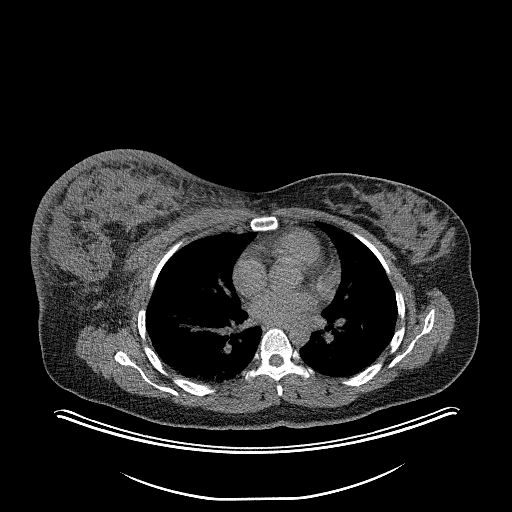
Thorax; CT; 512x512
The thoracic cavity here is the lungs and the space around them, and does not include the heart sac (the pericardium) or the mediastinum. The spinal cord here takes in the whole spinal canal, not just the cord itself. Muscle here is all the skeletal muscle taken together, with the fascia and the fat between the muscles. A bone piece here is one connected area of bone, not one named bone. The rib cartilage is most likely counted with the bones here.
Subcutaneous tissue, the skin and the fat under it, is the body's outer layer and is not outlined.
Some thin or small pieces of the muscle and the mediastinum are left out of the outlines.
The muscle is outlined by [[282,207],[307,207],[317,209],[342,217],[360,225],[374,235],[393,253],[395,257],[393,262],[396,266],[401,269],[401,272],[406,280],[413,286],[414,288],[413,292],[416,297],[417,303],[419,305],[421,305],[427,301],[426,291],[430,290],[433,287],[436,287],[439,289],[446,296],[453,308],[455,315],[455,322],[452,333],[445,348],[434,361],[419,369],[408,372],[401,377],[389,382],[384,386],[372,390],[345,405],[341,405],[336,407],[307,407],[282,400],[278,405],[272,405],[255,412],[224,413],[204,409],[199,406],[195,407],[185,406],[174,403],[163,398],[147,397],[139,394],[130,393],[122,389],[113,381],[110,381],[94,372],[84,360],[75,354],[75,343],[77,337],[81,329],[85,325],[93,324],[96,326],[100,326],[102,328],[108,329],[109,331],[115,332],[117,328],[122,327],[127,322],[128,302],[133,291],[133,280],[132,276],[127,275],[123,270],[124,261],[126,260],[128,255],[150,237],[205,208],[228,208],[229,209],[238,208],[254,211],[258,214],[269,214],[275,208],[281,208]]; inner edges: [[271,215],[280,224],[300,220],[325,222],[349,233],[354,231],[371,242],[389,268],[388,279],[392,288],[400,290],[403,296],[405,330],[401,342],[391,354],[387,346],[375,361],[383,362],[381,368],[371,379],[357,386],[341,383],[343,376],[318,371],[306,379],[288,373],[278,381],[282,387],[282,393],[278,395],[277,382],[268,375],[260,374],[247,381],[238,373],[229,379],[212,383],[216,389],[212,393],[200,396],[187,392],[172,381],[179,374],[164,364],[168,373],[166,376],[150,362],[144,345],[151,348],[152,344],[148,336],[142,340],[138,330],[138,311],[146,308],[150,300],[149,283],[153,271],[170,247],[181,239],[187,244],[231,228],[249,228],[251,219]], then [[120,350],[124,352],[132,361],[140,367],[144,374],[151,381],[158,385],[172,388],[178,393],[178,395],[177,396],[167,391],[163,391],[158,388],[156,388],[145,381],[136,368],[130,365],[123,365],[116,361],[114,358],[114,355],[116,352]], then [[433,308],[434,309],[434,320],[431,329],[427,333],[423,334],[415,342],[411,350],[406,355],[405,355],[392,367],[388,367],[388,364],[392,359],[395,356],[401,354],[408,347],[409,344],[416,335],[417,335],[422,330],[425,317],[430,310]]. The thoracic cavity appears in 2 outlined pieces: piece 1: [[220,231],[237,234],[249,231],[255,233],[253,239],[233,264],[231,281],[241,308],[247,313],[251,325],[261,329],[261,336],[251,361],[239,373],[220,382],[199,383],[180,376],[164,364],[153,349],[147,334],[146,308],[158,276],[168,260],[186,244]]; piece 2: [[315,221],[336,226],[360,241],[376,257],[394,292],[397,318],[395,330],[388,345],[375,362],[348,377],[332,376],[316,371],[304,363],[299,353],[300,348],[310,340],[316,329],[316,320],[333,299],[341,279],[341,264],[337,250],[328,235],[315,224]]. The bones appear in 11 outlined pieces: piece 1: [[270,328],[281,329],[287,336],[292,347],[298,351],[303,363],[315,371],[313,375],[306,379],[303,379],[295,373],[284,375],[278,381],[282,387],[281,395],[277,393],[277,382],[268,375],[260,374],[250,381],[247,381],[240,374],[252,361],[262,335]] with a hole at [[272,355],[279,355],[282,358],[282,363],[281,364],[280,364],[279,365],[278,365],[277,366],[276,366],[275,365],[273,365],[272,364],[271,364],[270,363],[270,358],[271,357],[271,356]]; piece 2: [[395,289],[398,289],[401,291],[404,300],[405,313],[404,314],[403,323],[405,327],[405,330],[400,344],[396,350],[391,354],[389,352],[389,347],[388,346],[389,343],[395,331],[399,328],[403,323],[397,313],[397,303],[396,302],[395,292],[394,291]]; piece 3: [[174,376],[178,376],[179,377],[187,379],[192,382],[198,383],[199,384],[210,384],[212,386],[215,387],[216,390],[212,393],[209,393],[201,396],[199,395],[196,395],[195,394],[192,394],[189,392],[187,392],[174,383],[172,381],[172,378]]; piece 4: [[378,361],[382,361],[383,362],[383,364],[381,368],[371,379],[368,380],[366,382],[357,386],[354,386],[353,385],[346,385],[345,384],[341,383],[341,380],[342,378],[348,378],[351,376],[353,376],[359,373],[361,371],[364,370],[370,365]]; piece 5: [[120,350],[124,352],[132,361],[140,367],[144,374],[151,381],[158,385],[172,388],[178,393],[178,395],[177,396],[167,391],[163,391],[158,388],[156,388],[145,381],[136,368],[130,365],[123,365],[116,361],[114,358],[114,355],[116,352]]; piece 6: [[433,308],[434,309],[434,320],[431,329],[427,333],[423,334],[415,342],[411,350],[406,355],[405,355],[392,367],[388,367],[388,364],[392,359],[395,356],[401,354],[408,347],[409,344],[416,335],[417,335],[422,330],[425,317],[430,310]]; piece 7: [[271,215],[272,216],[275,216],[278,220],[279,225],[276,229],[275,229],[274,230],[267,230],[266,231],[253,231],[250,228],[250,225],[249,224],[250,223],[250,221],[251,220],[251,219],[252,219],[255,217],[259,217],[260,216],[270,216]]; piece 8: [[181,239],[184,239],[183,241],[185,244],[180,247],[163,265],[157,276],[157,278],[155,281],[155,283],[151,293],[149,289],[149,283],[150,282],[150,279],[152,276],[154,269],[156,267],[159,261],[162,258],[165,253],[170,248],[170,247]]; piece 9: [[353,231],[360,234],[362,236],[366,238],[370,242],[371,242],[380,252],[389,268],[389,270],[390,271],[390,275],[389,276],[387,275],[383,266],[381,264],[381,263],[379,261],[377,257],[360,240],[359,240],[356,237],[355,237],[351,233],[351,232]]; piece 10: [[145,344],[148,345],[151,348],[152,348],[152,349],[155,352],[157,356],[160,359],[160,360],[162,362],[163,367],[167,371],[168,373],[168,375],[167,376],[162,374],[158,370],[157,370],[150,362],[149,359],[147,357],[144,351],[144,345]]; piece 11: [[142,307],[144,307],[145,308],[145,327],[146,328],[146,334],[147,335],[147,336],[146,337],[146,339],[144,341],[143,340],[142,340],[142,339],[140,336],[140,334],[139,333],[139,331],[138,330],[138,327],[137,326],[137,315],[138,314],[138,311]]. The mediastinum appears in 2 outlined pieces: piece 1: [[320,312],[319,317],[315,320],[314,324],[315,329],[311,333],[309,340],[298,350],[293,347],[288,336],[281,328],[270,327],[262,334],[262,329],[258,325],[252,325],[248,317],[249,316],[248,313],[252,318],[264,322],[285,322],[294,320],[306,320]]; piece 2: [[300,220],[314,221],[314,224],[327,235],[334,246],[336,250],[337,255],[336,251],[334,249],[332,246],[332,244],[325,235],[319,231],[299,225],[292,225],[286,227],[274,233],[260,237],[257,240],[250,243],[256,236],[255,232],[274,231],[279,227],[280,224],[293,223]]. The pericardium is outlined by [[292,226],[307,228],[319,232],[325,236],[335,251],[339,262],[339,283],[329,303],[325,305],[318,313],[309,318],[285,321],[264,321],[256,319],[252,317],[244,308],[235,289],[232,281],[232,272],[234,264],[240,254],[250,244],[260,238],[274,234]]. The spinal cord is outlined by [[272,355],[279,355],[282,358],[282,363],[281,364],[280,364],[279,365],[278,365],[277,366],[276,366],[275,365],[273,365],[272,364],[271,364],[270,363],[270,358],[271,357],[271,356]]. The torso is outlined by [[116,148],[151,151],[204,179],[245,191],[349,172],[401,182],[439,197],[461,218],[471,243],[479,299],[479,334],[471,360],[433,395],[351,421],[299,428],[162,425],[60,387],[45,370],[38,338],[29,251],[32,221],[41,197],[62,173],[89,155]].